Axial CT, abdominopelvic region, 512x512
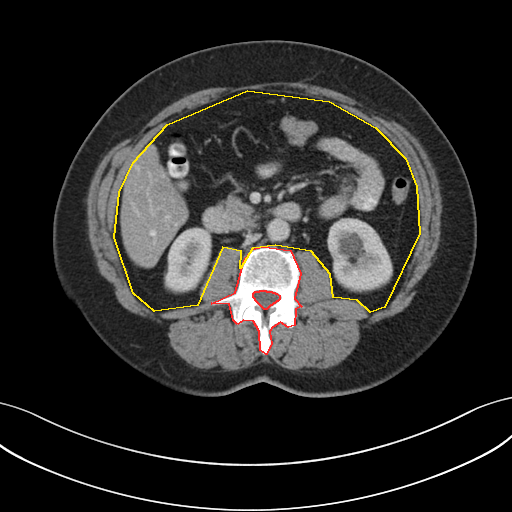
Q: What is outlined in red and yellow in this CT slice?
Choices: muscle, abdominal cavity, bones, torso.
A: red: bones; yellow: abdominal cavity.
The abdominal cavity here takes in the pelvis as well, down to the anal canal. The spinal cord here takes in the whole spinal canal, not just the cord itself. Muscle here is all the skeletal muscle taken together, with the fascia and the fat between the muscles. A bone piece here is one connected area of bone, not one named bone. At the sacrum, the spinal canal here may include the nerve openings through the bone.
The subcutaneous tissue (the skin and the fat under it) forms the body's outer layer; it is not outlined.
The bones are outlined by (262, 246) (290, 250) (300, 273) (294, 298) (301, 306) (295, 309) (294, 325) (288, 327) (280, 322) (272, 327) (269, 331) (271, 343) (266, 354) (260, 350) (259, 331) (253, 321) (243, 320) (237, 324) (233, 320) (229, 304) (211, 303) (235, 292) (244, 260) (252, 249), around a hole outlined by (260, 290) (265, 290) (266, 291) (271, 291) (272, 292) (274, 292) (275, 293) (276, 293) (279, 295) (279, 299) (277, 301) (276, 301) (274, 303) (273, 303) (271, 305) (270, 305) (266, 309) (264, 309) (255, 300) (255, 299) (253, 297) (253, 293) (255, 291) (259, 291). The abdominal cavity is outlined by (247, 90) (329, 101) (375, 127) (405, 158) (416, 186) (419, 233) (384, 307) (370, 312) (357, 300) (333, 297) (330, 274) (311, 251) (275, 245) (252, 248) (240, 268) (241, 251) (222, 247) (197, 305) (154, 311) (133, 293) (114, 237) (119, 192) (133, 162) (167, 124). The torso is outlined by (265, 39) (337, 49) (391, 75) (443, 131) (471, 188) (477, 220) (476, 255) (456, 312) (418, 359) (369, 389) (307, 397) (259, 382) (220, 396) (174, 391) (114, 354) (67, 299) (56, 275) (52, 227) (57, 198) (78, 148) (110, 104) (143, 75) (177, 57) (216, 45). The muscle is outlined by (266, 82) (302, 82) (303, 83) (318, 85) (322, 87) (329, 88) (355, 99) (362, 104) (395, 120) (405, 127) (418, 139) (419, 142) (427, 153) (435, 169) (435, 172) (440, 187) (441, 204) (442, 205) (442, 211) (441, 212) (441, 238) (431, 268) (417, 290) (410, 304) (401, 312) (399, 312) (392, 316) (384, 318) (380, 321) (374, 323) (368, 328) (363, 334) (356, 347) (352, 352) (339, 364) (323, 371) (299, 371) (298, 370) (291, 370) (284, 368) (277, 364) (270, 358) (268, 357) (263, 357) (248, 366) (236, 371) (233, 371) (232, 372) (208, 372) (203, 369) (191, 366) (182, 359) (170, 346) (170, 344) (167, 340) (164, 331) (150, 319) (148, 319) (127, 310) (119, 303) (110, 286) (100, 274) (96, 265) (96, 261) (94, 257) (93, 251) (90, 245) (90, 242) (88, 238) (88, 233) (87, 232) (88, 226) (87, 225) (87, 204) (86, 203) (86, 198) (87, 197) (90, 182) (92, 179) (94, 172) (103, 156) (109, 150) (122, 142) (124, 139) (139, 130) (154, 115) (166, 106) (171, 104) (187, 94) (210, 87) (239, 87) (244, 85) (252, 85) (253, 84) (265, 83); inner edge: (247, 90) (329, 101) (375, 127) (409, 165) (419, 206) (407, 269) (375, 311) (333, 297) (328, 270) (298, 250) (301, 306) (292, 327) (269, 331) (266, 354) (253, 321) (211, 303) (235, 292) (239, 249) (219, 250) (203, 302) (154, 311) (114, 237) (122, 182) (146, 145). The spinal cord is outlined by (260, 290) (265, 290) (266, 291) (271, 291) (272, 292) (274, 292) (275, 293) (276, 293) (279, 295) (279, 299) (277, 301) (276, 301) (274, 303) (273, 303) (271, 305) (270, 305) (266, 309) (264, 309) (255, 300) (255, 299) (253, 297) (253, 293) (255, 291) (259, 291).